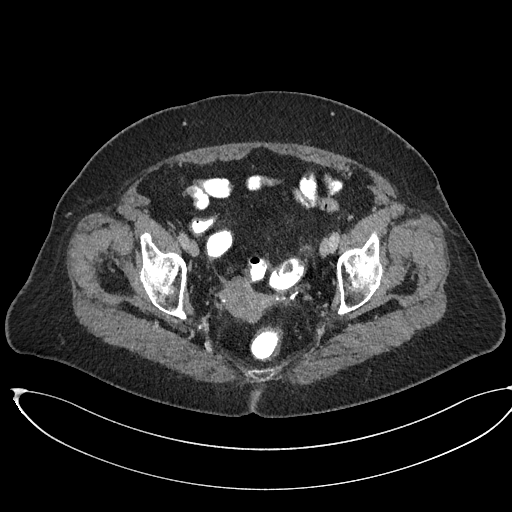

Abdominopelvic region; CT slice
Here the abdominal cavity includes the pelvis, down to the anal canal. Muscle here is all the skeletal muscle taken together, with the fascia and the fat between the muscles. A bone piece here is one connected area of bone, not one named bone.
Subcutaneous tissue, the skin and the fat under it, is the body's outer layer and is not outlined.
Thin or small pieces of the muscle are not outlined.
The abdominal cavity is outlined by (260, 147) (341, 174) (360, 174) (373, 195) (370, 212) (339, 237) (334, 292) (312, 335) (299, 349) (263, 367) (246, 361) (213, 341) (192, 305) (187, 282) (188, 266) (181, 244) (169, 229) (152, 217) (149, 199) (137, 189) (146, 176) (162, 167) (239, 160) (252, 149). The torso is outlined by (262, 90) (306, 92) (353, 106) (390, 127) (423, 156) (501, 301) (505, 312) (501, 343) (391, 395) (342, 409) (278, 418) (252, 412) (223, 416) (164, 404) (64, 363) (14, 351) (5, 337) (7, 309) (29, 275) (57, 202) (90, 157) (123, 128) (158, 110) (213, 95). The muscle is outlined by (278, 141) (320, 147) (358, 160) (386, 177) (402, 201) (441, 224) (450, 270) (444, 285) (446, 310) (437, 323) (395, 349) (313, 383) (271, 381) (278, 371) (268, 366) (299, 350) (329, 309) (335, 292) (335, 265) (339, 316) (372, 297) (384, 268) (381, 240) (375, 230) (361, 246) (348, 247) (337, 257) (341, 235) (374, 206) (374, 195) (363, 175) (341, 173) (260, 146) (239, 159) (162, 166) (136, 187) (148, 199) (151, 217) (169, 230) (181, 247) (181, 252) (162, 251) (149, 231) (139, 234) (138, 278) (150, 302) (163, 313) (186, 320) (187, 283) (191, 305) (212, 341) (259, 367) (243, 371) (245, 377) (256, 381) (195, 380) (108, 344) (80, 325) (72, 306) (66, 250) (83, 218) (114, 206) (162, 159) (224, 144). The bones appear in 3 outlined pieces: piece 1: (146, 231) (150, 233) (152, 241) (162, 252) (171, 251) (181, 253) (186, 262) (187, 278) (186, 279) (186, 287) (183, 292) (183, 309) (186, 314) (186, 319) (184, 320) (176, 316) (163, 312) (157, 308) (151, 302) (139, 278) (139, 273) (142, 265) (139, 236) (140, 234); piece 2: (372, 231) (375, 231) (377, 233) (380, 240) (379, 257) (383, 268) (380, 284) (371, 297) (364, 304) (356, 309) (342, 315) (339, 315) (337, 313) (340, 303) (340, 292) (338, 289) (338, 282) (336, 276) (337, 258) (344, 250) (348, 248) (361, 247) (368, 239); piece 3: (268, 367) (272, 367) (273, 368) (274, 368) (277, 371) (277, 372) (271, 378) (271, 379) (270, 379) (269, 380) (267, 380) (266, 381) (257, 381) (255, 379) (254, 379) (251, 377) (247, 377) (244, 375) (244, 371) (245, 371) (248, 369) (253, 369) (254, 368) (267, 368).